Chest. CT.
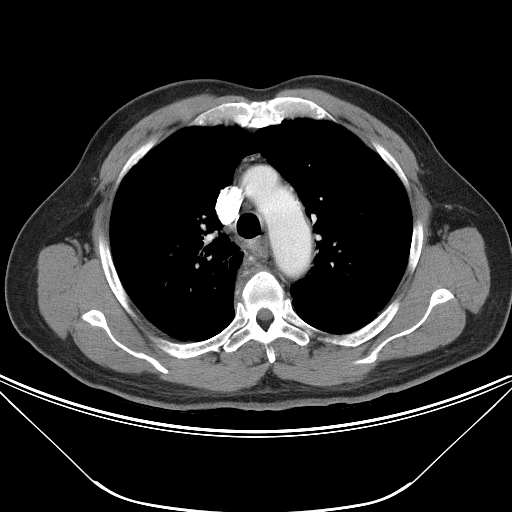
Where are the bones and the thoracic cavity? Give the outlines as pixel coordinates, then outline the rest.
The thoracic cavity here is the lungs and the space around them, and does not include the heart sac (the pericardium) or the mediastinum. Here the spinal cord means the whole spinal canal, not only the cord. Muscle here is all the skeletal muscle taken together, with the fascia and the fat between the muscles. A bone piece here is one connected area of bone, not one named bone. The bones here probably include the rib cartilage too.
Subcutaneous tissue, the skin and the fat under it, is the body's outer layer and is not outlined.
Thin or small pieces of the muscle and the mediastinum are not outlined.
The bones appear in 8 outlined pieces: piece 1: 262,270 276,278 300,318 329,334 360,329 397,297 399,307 383,329 356,346 316,335 306,345 278,337 270,343 271,363 265,346 254,339 231,352 221,347 178,358 150,336 184,343 216,335 234,318 245,283 with a hole at 264,308 265,309 267,309 268,310 269,310 271,312 271,313 272,314 272,319 268,323 263,323 262,322 261,322 260,321 259,321 257,319 257,314 258,313 258,312 261,309 263,309; piece 2: 277,96 293,96 311,100 322,107 335,118 337,122 327,119 313,119 304,116 296,116 293,118 285,118 278,124 259,128 241,127 231,121 228,125 188,125 199,114 224,102 243,101 249,103 252,101 269,100; piece 3: 101,234 105,236 109,242 109,247 110,248 110,253 112,261 119,280 130,300 130,305 135,313 134,317 131,316 122,306 112,291 107,281 106,276 102,267 101,259 99,255 98,243 99,242 99,236; piece 4: 439,288 448,289 454,296 452,298 436,304 431,309 425,320 413,331 396,337 386,343 378,352 377,357 374,361 369,363 357,364 353,363 354,361 362,359 367,356 381,342 388,337 413,326 425,313 433,291; piece 5: 91,309 97,309 103,313 106,320 106,323 111,333 118,341 134,351 141,352 156,359 168,370 168,372 163,373 156,369 147,360 143,358 136,357 130,354 115,344 102,327 92,325 87,321 82,319 81,315; piece 6: 416,220 419,220 422,223 423,226 423,241 421,246 421,251 419,255 419,258 417,261 415,268 412,273 409,273 406,270 406,268 408,263 408,258 409,257 409,252 410,251 410,246 412,239 413,223; piece 7: 153,137 156,137 156,141 157,143 153,147 152,147 137,162 137,163 136,163 127,172 127,173 122,178 121,181 119,183 115,191 115,184 116,183 116,180 123,166 125,164 127,160 141,145 142,145; piece 8: 372,140 374,140 382,145 393,156 393,157 399,164 401,169 403,171 408,181 408,183 409,184 409,192 407,192 404,185 396,173 387,165 387,164 382,159 378,153 374,149 373,149 373,147 372,146. The thoracic cavity is outlined by 296,117 340,124 403,185 412,230 393,295 347,333 299,316 290,287 314,266 313,224 257,151 240,160 214,203 220,231 243,252 234,316 208,338 173,339 131,301 116,270 109,223 120,183 186,126 253,134. The torso is outlined by 306,74 357,81 399,102 500,215 511,240 511,311 491,349 423,383 361,403 281,411 227,407 177,411 88,387 17,332 4,297 12,245 25,221 73,170 110,114 132,98 178,80 218,78 264,88. The muscle is outlined by 298,87 351,102 394,130 415,153 433,205 477,226 489,294 461,333 430,351 383,361 356,383 323,387 267,372 257,384 226,393 119,372 60,338 38,307 37,259 44,242 85,206 104,159 134,124 201,93 260,100 210,107 158,143 156,136 148,139 122,166 108,239 101,233 97,247 106,281 125,311 136,316 131,302 176,341 149,336 172,357 221,348 231,353 254,340 271,364 271,343 278,338 306,346 316,336 356,347 388,325 401,303 399,296 390,301 405,271 414,272 424,241 423,223 413,222 409,181 382,144 372,139 368,146 313,100 274,96; inner edges: 439,288 448,289 454,296 452,298 436,304 431,309 425,320 413,331 396,337 386,343 378,352 377,357 374,361 369,363 357,364 353,363 354,361 362,359 367,356 381,342 388,337 413,326 425,313 433,291, then 91,309 97,309 103,313 106,320 106,323 111,333 118,341 134,351 141,352 156,359 168,370 168,372 163,373 156,369 147,360 143,358 136,357 130,354 115,344 102,327 92,325 87,321 82,319 81,315. The mediastinum is outlined by 257,152 260,152 292,186 312,224 315,247 313,266 306,275 290,285 289,296 286,295 277,278 268,270 259,270 246,281 241,277 244,252 225,232 221,231 223,226 215,211 215,203 220,191 229,183 241,160. The spinal cord is outlined by 264,308 265,309 267,309 268,310 269,310 271,312 271,313 272,314 272,319 268,323 263,323 262,322 261,322 260,321 259,321 257,319 257,314 258,313 258,312 261,309 263,309.